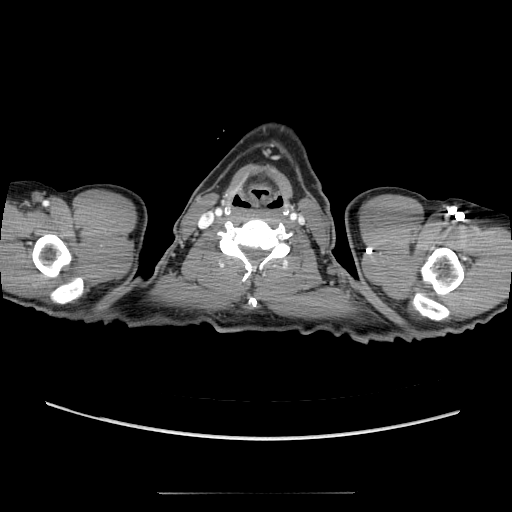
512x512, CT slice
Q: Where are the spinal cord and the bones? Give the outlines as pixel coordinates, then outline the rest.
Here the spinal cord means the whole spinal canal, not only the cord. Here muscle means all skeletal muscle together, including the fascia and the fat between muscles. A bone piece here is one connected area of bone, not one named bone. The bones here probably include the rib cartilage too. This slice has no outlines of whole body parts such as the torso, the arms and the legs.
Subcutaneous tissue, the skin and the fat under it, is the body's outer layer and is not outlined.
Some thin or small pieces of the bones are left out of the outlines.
A: {"spinal_cord":[[[240,246],[245,246],[246,247],[249,247],[250,248],[252,248],[253,249],[257,249],[258,248],[259,248],[262,250],[269,251],[268,252],[268,253],[264,257],[263,257],[261,259],[261,260],[260,260],[259,261],[251,261],[246,256],[245,253],[241,249]]],"bones":[{"outer":[[251,218],[265,219],[273,228],[282,222],[286,231],[292,231],[293,234],[285,241],[290,248],[284,258],[285,265],[282,258],[272,259],[243,282],[241,279],[246,271],[243,263],[222,252],[217,232],[225,229],[224,223],[228,220],[239,226]],"hole":[[240,246],[245,246],[246,247],[249,247],[250,248],[252,248],[253,249],[257,249],[258,248],[259,248],[262,250],[269,251],[268,252],[268,253],[264,257],[263,257],[261,259],[261,260],[260,260],[259,261],[251,261],[246,256],[245,253],[241,249]]},[[434,247],[447,247],[454,251],[457,255],[458,259],[464,268],[464,278],[460,285],[448,294],[443,296],[439,296],[435,294],[431,286],[429,284],[423,283],[421,281],[420,274],[419,273],[419,269],[420,267],[425,261],[427,256],[431,253],[432,248]],[[48,233],[55,234],[63,240],[71,252],[73,257],[72,262],[70,265],[64,268],[61,271],[60,274],[57,277],[54,278],[46,277],[41,272],[40,272],[40,271],[35,266],[32,260],[32,251],[35,242],[38,238],[41,237],[44,234],[47,234]],[[417,291],[422,291],[423,292],[425,292],[429,297],[431,297],[435,299],[437,301],[439,301],[445,306],[446,306],[450,311],[450,314],[449,316],[439,321],[431,320],[424,316],[422,316],[416,310],[414,309],[411,302],[414,296],[414,294]],[[75,276],[81,276],[83,279],[83,283],[84,284],[84,291],[82,295],[79,298],[71,302],[69,302],[65,304],[58,304],[57,303],[54,303],[50,299],[49,297],[50,293],[57,286],[58,286],[62,283],[68,282],[71,279],[71,278]],[[248,173],[248,175],[245,181],[243,183],[241,189],[240,189],[239,191],[238,191],[237,193],[236,193],[233,196],[231,201],[230,213],[228,215],[226,215],[223,213],[224,200],[226,199],[226,196],[225,195],[226,193],[229,192],[232,189],[233,189]]],"central_area_in_front_of_the_spine":[[[258,168],[261,168],[268,172],[277,191],[281,194],[283,199],[282,205],[284,208],[282,213],[286,216],[287,215],[287,218],[278,219],[272,217],[267,213],[260,212],[252,212],[238,217],[228,216],[231,213],[232,201],[234,196],[242,189],[248,176]]],"muscle":[{"outer":[[271,139],[291,154],[320,205],[328,222],[325,256],[348,279],[364,277],[358,209],[373,195],[411,196],[427,216],[455,206],[470,219],[490,220],[511,232],[511,281],[491,309],[409,328],[292,318],[266,309],[169,307],[142,320],[79,313],[71,305],[4,289],[0,213],[10,200],[37,190],[69,204],[92,188],[129,197],[138,221],[129,235],[135,255],[125,278],[146,282],[178,250],[183,217],[196,196],[239,154]],"holes":[[[251,218],[265,219],[273,228],[282,222],[286,231],[292,231],[293,234],[285,241],[290,248],[284,258],[285,265],[282,258],[272,259],[243,282],[241,279],[246,271],[243,263],[222,252],[217,232],[225,229],[224,223],[228,220],[239,226]],[[258,168],[266,170],[277,191],[280,194],[284,193],[287,196],[291,206],[289,207],[289,211],[286,217],[287,218],[278,219],[272,217],[267,213],[260,212],[252,212],[238,217],[228,216],[223,213],[226,193],[233,189],[248,173],[249,176],[254,170]],[[434,247],[447,247],[454,251],[457,255],[458,259],[464,268],[464,278],[460,285],[448,294],[443,296],[439,296],[435,294],[431,286],[429,284],[423,283],[421,281],[420,274],[419,273],[419,269],[420,267],[425,261],[427,256],[431,253],[432,248]],[[48,233],[55,234],[63,240],[71,252],[73,257],[72,262],[70,265],[64,268],[61,271],[60,274],[57,277],[54,278],[46,277],[41,272],[40,272],[40,271],[35,266],[32,260],[32,251],[35,242],[38,238],[41,237],[44,234],[47,234]],[[417,291],[422,291],[423,292],[425,292],[429,297],[431,297],[435,299],[437,301],[439,301],[445,306],[446,306],[450,311],[450,314],[449,316],[439,321],[431,320],[424,316],[422,316],[416,310],[414,309],[411,302],[414,296],[414,294]],[[75,276],[81,276],[83,279],[83,283],[84,284],[84,291],[82,295],[79,298],[71,302],[69,302],[65,304],[58,304],[57,303],[54,303],[50,299],[49,297],[50,293],[57,286],[58,286],[62,283],[68,282],[71,279],[71,278]],[[248,293],[249,293],[253,297],[254,297],[256,299],[256,300],[257,301],[257,305],[256,306],[256,307],[252,307],[249,304],[248,304],[248,303],[247,302],[247,301],[248,300],[248,297],[247,296],[247,295],[248,294]]]}]}